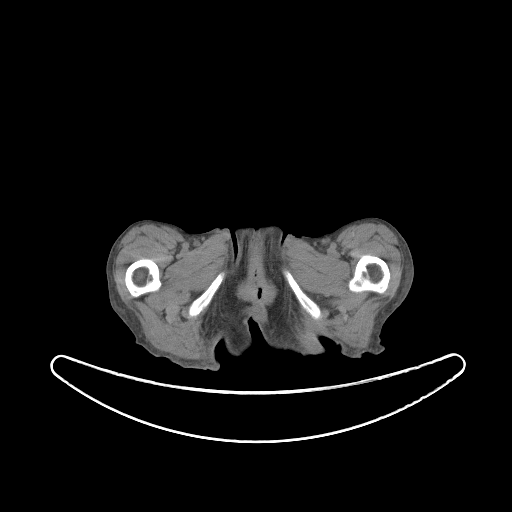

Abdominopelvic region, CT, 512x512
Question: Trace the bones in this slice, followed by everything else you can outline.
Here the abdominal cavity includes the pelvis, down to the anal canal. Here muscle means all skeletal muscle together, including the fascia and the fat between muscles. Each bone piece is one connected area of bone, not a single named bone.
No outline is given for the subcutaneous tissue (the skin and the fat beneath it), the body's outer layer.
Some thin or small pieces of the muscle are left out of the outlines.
Answer: The bones appear in 4 outlined pieces: piece 1: 364,254 375,255 383,259 386,262 388,266 389,272 390,273 390,278 388,282 387,288 385,291 382,293 374,292 373,291 353,292 351,291 348,287 348,281 352,277 354,273 354,270 357,261 359,258; piece 2: 140,258 150,258 157,264 158,266 158,269 159,270 159,278 161,282 161,286 159,289 156,291 147,292 137,297 133,297 130,294 125,284 125,281 124,280 124,278 125,277 125,272 126,271 127,267 132,262; piece 3: 284,269 288,270 291,273 302,290 319,306 320,308 320,311 321,312 321,317 320,318 318,319 314,319 302,307 302,306 298,301 297,298 295,296 292,289 290,287 288,282 286,280 283,274 283,270; piece 4: 222,271 223,271 225,273 225,276 223,280 221,282 220,285 218,287 217,290 214,293 208,305 197,315 193,316 192,317 190,317 188,315 188,309 189,308 190,304 208,287 208,286 216,277 216,276 220,272. The torso is outlined by 369,216 396,227 414,265 378,354 349,358 325,337 322,354 275,350 250,319 253,345 241,356 220,341 217,370 184,368 136,344 110,305 106,260 132,222 191,233 226,227 235,243 239,226 276,224 315,237. The abdominal cavity is outlined by 254,272 256,272 261,278 267,281 272,287 272,289 274,292 274,295 273,297 270,300 269,300 264,304 256,304 254,301 252,301 247,297 246,297 246,296 242,291 244,287 250,282 252,278 253,273. The muscle appears in 4 outlined pieces: piece 1: 148,223 173,228 197,247 214,234 223,233 227,238 228,271 223,285 217,292 203,319 203,325 205,326 205,352 200,358 179,357 154,347 146,340 140,322 122,302 116,290 113,269 118,246 129,230 135,226, around holes outlined by 140,258 150,258 157,264 158,266 158,269 159,270 159,278 161,282 161,286 159,289 156,291 147,292 137,297 133,297 130,294 125,284 125,281 124,280 124,278 125,277 125,272 126,271 127,267 132,262 and by 222,271 223,271 225,273 225,276 223,280 221,282 220,285 218,287 217,290 214,293 208,305 197,315 193,316 192,317 190,317 188,315 188,309 189,308 190,304 208,287 208,286 216,277 216,276 220,272; piece 2: 364,222 381,223 393,232 403,255 403,269 394,297 375,317 371,340 365,347 358,348 308,321 298,302 314,320 322,317 321,308 292,273 286,268 282,273 281,267 285,244 289,240 305,241 321,251 344,229, around a hole outlined by 364,254 375,255 383,259 386,262 388,266 389,272 390,273 390,278 388,282 387,288 385,291 382,293 374,292 373,291 353,292 351,291 348,287 348,281 352,277 354,273 354,270 357,261 359,258; piece 3: 255,262 257,262 257,268 258,271 264,274 269,279 270,279 274,284 276,289 276,297 272,302 266,305 261,309 256,308 248,301 242,299 240,297 239,294 240,286 248,277 249,271 252,266 252,264; inner edge: 254,272 256,272 257,274 261,278 267,281 272,287 272,289 274,292 274,296 270,300 269,300 264,304 256,304 254,301 252,301 247,297 246,297 246,296 242,291 244,287 246,286 250,282 252,278 253,273; piece 4: 283,275 283,276 284,277 284,278 285,279 285,280 287,282 287,283 288,284 288,285 289,286 289,287 291,289 291,290 293,293 292,293 286,287 286,286 285,285 285,282 284,281 284,278 283,277.